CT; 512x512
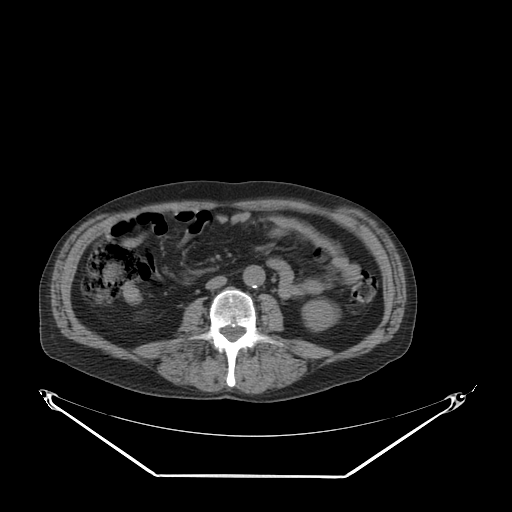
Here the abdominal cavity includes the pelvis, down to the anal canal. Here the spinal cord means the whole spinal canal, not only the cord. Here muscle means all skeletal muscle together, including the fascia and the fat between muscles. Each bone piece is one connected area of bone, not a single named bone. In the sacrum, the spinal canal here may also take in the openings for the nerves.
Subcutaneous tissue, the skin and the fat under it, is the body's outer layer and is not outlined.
Outlined structures:
muscle: 269,197 301,199 308,202 310,201 326,207 348,206 356,208 364,212 376,221 378,225 389,235 396,247 402,262 405,276 406,301 404,306 404,313 399,328 393,338 380,348 355,358 329,363 309,372 291,384 274,391 259,394 249,394 243,392 237,392 234,390 224,390 218,392 203,392 177,386 151,369 124,359 111,356 102,351 76,342 66,337 61,333 60,329 56,324 52,312 51,287 50,286 52,273 57,257 66,240 84,222 102,213 134,208 158,202 179,201 180,200 211,200 212,201 224,202 225,201 237,201 238,200 254,199 255,198 268,198 with a hole at 219,207 316,214 352,232 380,270 379,323 334,351 281,335 280,306 260,293 257,330 283,345 242,348 232,387 225,353 189,338 209,329 210,297 185,306 174,337 132,348 87,327 71,292 94,238 141,212
abdominal cavity: 219,207 316,214 352,232 380,270 379,323 357,343 334,351 281,335 284,316 271,294 253,300 241,289 227,287 213,298 198,297 186,305 171,338 126,348 87,327 75,315 71,292 80,259 94,238 141,212
bones: 227,288 236,288 248,294 255,307 257,330 283,344 279,346 267,342 258,342 253,348 242,348 235,359 235,384 232,387 226,383 228,363 225,353 219,352 207,340 189,338 209,329 209,308 212,300 218,293, around a hole outlined by 226,326 230,326 231,327 236,327 237,326 238,326 239,327 241,327 242,328 243,328 244,329 244,332 242,335 241,335 237,339 236,339 234,341 230,341 221,332 221,329 222,328 223,328
torso: 189,179 290,181 345,196 377,213 404,245 415,275 417,314 408,350 401,357 358,381 299,398 269,403 226,398 194,400 148,395 90,376 46,355 39,341 38,286 45,263 62,234 86,213 113,198 152,185
spinal cord: 226,326 230,326 231,327 236,327 237,326 238,326 239,327 241,327 242,328 243,328 244,329 244,332 242,335 241,335 237,339 236,339 234,341 230,341 221,332 221,329 222,328 223,328